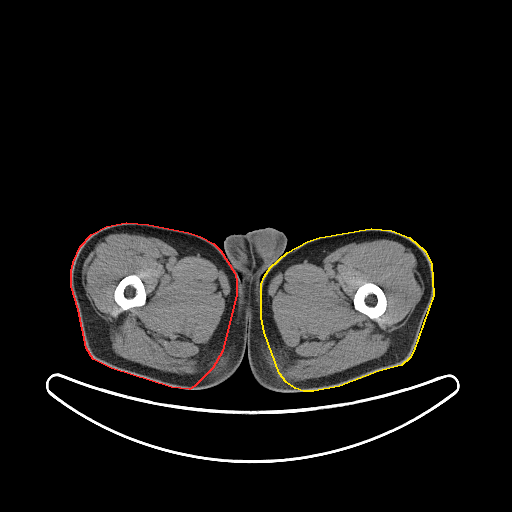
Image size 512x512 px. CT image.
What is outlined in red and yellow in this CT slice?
red: right leg; yellow: left leg.
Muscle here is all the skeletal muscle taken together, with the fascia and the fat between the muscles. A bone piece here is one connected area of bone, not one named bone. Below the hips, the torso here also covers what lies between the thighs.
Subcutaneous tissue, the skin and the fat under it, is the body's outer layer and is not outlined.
{"right_leg":[[[126,222],[148,224],[188,232],[200,236],[213,243],[220,250],[234,272],[236,279],[236,294],[222,351],[212,368],[194,386],[189,389],[171,387],[111,368],[93,359],[86,348],[78,309],[71,286],[71,271],[73,262],[80,246],[91,234],[106,226]]],"left_leg":[[[371,228],[391,230],[409,237],[424,250],[431,263],[433,295],[413,351],[409,358],[401,365],[378,371],[339,386],[313,391],[303,391],[295,388],[286,382],[279,373],[264,332],[261,317],[261,284],[264,276],[270,267],[287,252],[307,241],[319,237]]],"bones":[[[365,282],[371,282],[379,286],[384,292],[385,296],[386,297],[386,301],[387,302],[386,308],[384,312],[376,319],[372,319],[367,315],[360,312],[354,307],[354,305],[353,304],[353,298],[354,297],[354,294],[355,292],[357,290],[358,287]],[[130,274],[135,274],[139,276],[139,277],[141,279],[144,285],[145,291],[146,292],[146,300],[145,301],[145,303],[141,306],[135,306],[126,310],[122,310],[120,306],[118,305],[118,304],[114,299],[114,291],[119,281],[125,276],[129,275]]],"torso":[[[266,227],[283,232],[287,243],[285,254],[269,267],[260,284],[263,332],[278,373],[286,383],[302,392],[278,392],[262,387],[252,375],[246,352],[236,371],[222,383],[190,389],[220,357],[234,309],[237,279],[221,251],[224,251],[224,240],[231,234]]],"muscle":[{"outer":[[360,237],[390,238],[412,252],[417,262],[416,269],[424,287],[420,300],[404,325],[393,333],[392,343],[382,356],[326,376],[297,381],[279,379],[275,375],[275,370],[284,360],[285,350],[277,337],[269,313],[267,296],[270,280],[284,266],[327,254]],"hole":[[365,282],[371,282],[379,286],[384,292],[385,296],[386,297],[386,301],[387,302],[386,308],[384,312],[376,319],[372,319],[367,315],[360,312],[354,307],[354,305],[353,304],[353,298],[354,297],[354,294],[355,292],[357,290],[358,287]]},{"outer":[[111,232],[142,233],[158,237],[187,251],[202,253],[224,270],[230,282],[229,299],[223,316],[205,353],[203,372],[196,374],[167,372],[128,360],[112,351],[110,347],[111,343],[109,339],[108,326],[91,305],[82,281],[82,268],[86,256],[103,235]],"hole":[[130,274],[135,274],[139,276],[139,277],[141,279],[144,285],[145,291],[146,292],[146,300],[145,301],[145,303],[141,306],[135,306],[126,310],[122,310],[120,306],[118,305],[118,304],[114,299],[114,291],[119,281],[125,276],[129,275]]}]}